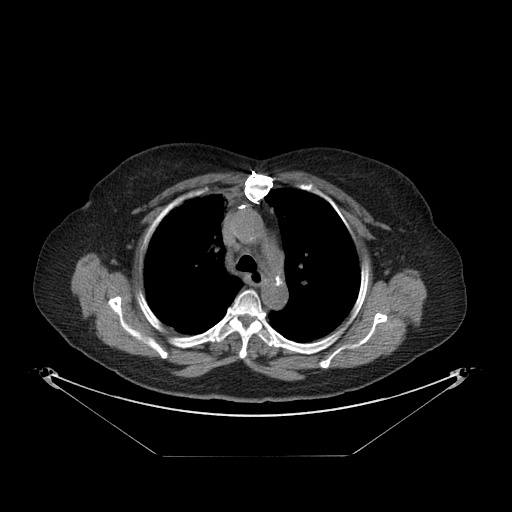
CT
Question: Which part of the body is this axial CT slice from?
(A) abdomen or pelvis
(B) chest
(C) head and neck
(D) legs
Answer: (B) chest
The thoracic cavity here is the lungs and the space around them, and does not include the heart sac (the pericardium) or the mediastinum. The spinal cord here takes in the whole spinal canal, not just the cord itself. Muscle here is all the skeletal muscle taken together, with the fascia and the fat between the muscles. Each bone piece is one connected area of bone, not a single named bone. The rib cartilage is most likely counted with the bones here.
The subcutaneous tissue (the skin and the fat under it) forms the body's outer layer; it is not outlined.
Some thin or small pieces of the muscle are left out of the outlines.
Outlines (x, y in pixels):
mediastinum: 228,193 243,194 255,204 258,204 264,198 277,216 284,253 285,281 288,290 288,299 282,309 271,310 268,313 255,289 246,288 239,292 243,286 242,280 230,274 225,267 226,248 220,225 225,210 223,194
thoracic cavity 1: 284,186 309,192 326,201 348,231 355,245 359,261 359,287 349,314 332,332 309,342 299,342 287,338 275,329 267,319 269,312 282,310 289,299 289,290 285,273 285,253 279,219 272,206 265,199 271,189
thoracic cavity 2: 211,194 222,194 223,197 224,210 219,228 225,248 224,267 230,275 241,280 242,286 231,304 227,307 224,315 217,322 202,332 182,335 171,327 164,325 147,302 143,279 144,257 157,227 174,208 186,200
bones 1: 363,261 369,271 361,307 340,336 320,351 306,354 269,346 254,333 241,359 242,340 236,331 221,341 185,348 167,340 204,332 246,289 255,290 267,321 284,337 299,343 319,340 345,325 358,295 with a hole at 242,315 248,315 249,316 250,316 251,317 253,317 254,318 253,319 253,320 247,326 244,326 243,325 243,324 242,323 242,322 240,320 240,319 239,318 240,317 240,316 241,316
bones 2: 205,186 207,186 209,189 207,192 200,196 196,196 186,199 181,204 174,207 158,224 149,240 147,248 143,257 142,273 140,271 141,246 143,243 143,240 148,228 152,222 159,213 177,196 191,190 203,188
bones 3: 252,171 254,171 257,173 262,173 263,174 269,175 270,176 274,177 273,187 270,189 268,193 263,198 259,200 258,203 255,203 249,200 243,193 243,189 244,188 244,184 245,183 245,181 249,174
bones 4: 115,296 120,296 121,298 121,310 122,311 123,319 132,328 139,331 146,336 149,336 153,338 168,353 168,356 166,358 163,359 153,348 141,340 137,339 123,328 120,324 118,314 108,304 108,300 110,298
bones 5: 377,312 385,314 387,316 387,319 386,321 376,324 373,333 364,343 354,348 346,348 341,350 332,358 327,368 322,368 319,366 318,363 320,360 326,359 330,354 342,345 352,344 362,339 370,330 374,316
bones 6: 298,183 312,183 319,190 329,196 335,202 339,210 347,221 350,228 354,234 354,236 355,237 355,243 346,226 332,206 326,200 320,196 316,194 314,194 309,191 307,191 303,189 300,189 296,187 296,184
bones 7: 138,290 141,290 144,294 144,296 145,297 145,299 148,306 150,308 152,312 155,315 155,316 162,323 164,327 164,331 159,331 157,330 145,317 143,312 141,310 138,304 138,302 136,298 136,292
spinal cord: 242,315 248,315 249,316 250,316 251,317 253,317 254,318 253,319 253,320 247,326 244,326 243,325 243,324 242,323 242,322 240,320 240,319 239,318 240,317 240,316 241,316
muscle 1: 291,170 335,185 389,227 368,226 374,236 365,242 374,281 387,282 404,268 419,272 427,291 421,319 392,353 292,381 254,371 242,360 182,377 158,359 110,347 89,330 70,288 79,258 95,252 110,271 130,268 145,214 134,209 182,180 242,172 248,173 242,193 203,195 207,185 191,189 151,222 139,253 144,293 138,289 135,298 140,310 157,331 166,326 181,335 166,340 182,349 221,342 234,332 241,340 241,360 254,334 267,346 292,353 310,355 331,346 360,311 370,268 366,260 360,265 355,234 329,195 312,182 274,187 274,176 258,172; inner edges: 115,296 120,296 121,298 121,310 122,311 123,319 132,328 139,331 146,336 149,336 153,338 168,353 168,356 166,358 163,359 153,348 141,340 137,339 123,328 120,324 118,314 108,304 108,300 110,298, then 377,312 385,314 387,316 387,319 386,321 376,324 373,333 364,343 354,348 346,348 341,350 332,358 327,368 322,368 319,366 318,363 320,360 326,359 330,354 342,345 352,344 362,339 370,330 374,316
muscle 2: 346,318 347,318 347,319 346,320 346,321 345,322 345,323 344,324 344,325 343,325 342,326 341,326 339,328 338,328 337,329 336,329 346,319
torso: 174,141 210,143 256,158 333,146 395,167 415,183 434,222 461,256 467,294 461,325 440,345 368,386 327,398 285,402 159,393 86,357 66,342 35,304 32,282 41,246 48,233 86,201 92,186 123,159